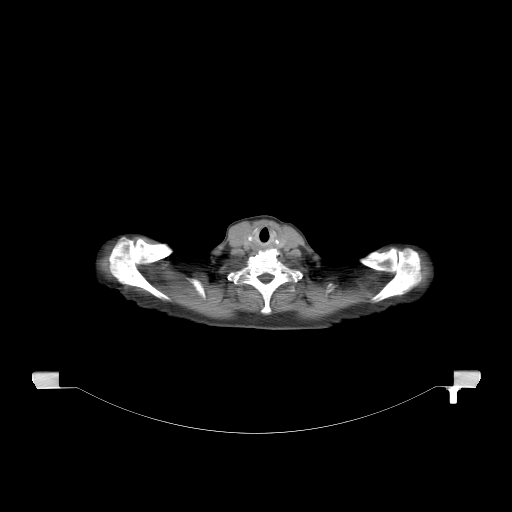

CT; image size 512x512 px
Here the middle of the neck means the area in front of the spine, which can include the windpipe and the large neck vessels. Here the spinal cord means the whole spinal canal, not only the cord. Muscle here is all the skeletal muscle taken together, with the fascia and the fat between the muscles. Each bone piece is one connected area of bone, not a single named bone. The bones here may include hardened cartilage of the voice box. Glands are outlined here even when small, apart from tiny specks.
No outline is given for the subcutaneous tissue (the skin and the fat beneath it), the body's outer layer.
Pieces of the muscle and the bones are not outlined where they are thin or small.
The torso appears in 2 outlined pieces: piece 1: 122 232; 139 232; 162 239; 174 251; 205 252; 215 245; 211 271; 217 288; 220 307; 227 322; 239 328; 207 326; 169 317; 154 310; 142 309; 137 307; 133 302; 125 300; 115 291; 98 285; 93 272; 93 259; 96 250; 108 237; piece 2: 394 241; 417 243; 423 246; 433 257; 435 262; 435 279; 431 288; 421 300; 411 304; 392 307; 381 313; 376 313; 360 319; 348 320; 335 327; 321 329; 286 329; 303 314; 317 295; 322 278; 320 255; 330 260; 357 259; 378 246. The middle of the neck is outlined by 264 224; 271 226; 277 232; 278 239; 276 238; 274 242; 278 247; 282 248; 288 240; 294 240; 296 245; 289 250; 276 247; 256 250; 237 246; 233 242; 235 236; 241 236; 244 245; 247 246; 253 239; 249 234; 250 232; 257 226. The bones appear in 4 outlined pieces: piece 1: 122 236; 133 240; 142 238; 146 242; 152 244; 166 243; 173 249; 172 253; 166 257; 148 264; 137 265; 137 268; 146 279; 153 286; 166 294; 170 300; 166 301; 160 299; 141 287; 122 284; 112 275; 109 269; 108 258; 116 241; piece 2: 392 247; 399 250; 402 250; 406 247; 410 247; 417 251; 420 258; 420 270; 422 275; 421 281; 404 294; 391 296; 373 303; 370 301; 370 299; 384 286; 394 275; 394 273; 373 269; 362 264; 359 261; 359 259; 369 252; 383 252; piece 3: 269 248; 279 250; 278 259; 290 268; 299 270; 303 276; 296 282; 286 282; 278 286; 269 300; 271 312; 269 314; 262 314; 260 311; 264 306; 264 299; 260 292; 250 284; 235 284; 227 279; 227 274; 245 266; 248 258; 259 250; inner edge: 265 273; 267 273; 268 274; 270 274; 271 275; 272 275; 272 276; 273 277; 268 282; 263 282; 262 281; 261 281; 259 279; 259 278; 258 277; 260 275; 261 275; 262 274; 264 274; piece 4: 188 278; 194 278; 195 279; 197 279; 201 283; 201 284; 203 287; 203 289; 204 290; 204 292; 205 293; 205 297; 204 298; 203 298; 198 293; 198 292; 196 290; 196 289; 194 287; 194 286; 190 282; 190 281; 189 280; 188 280. The spinal cord is outlined by 265 273; 267 273; 268 274; 270 274; 271 275; 272 275; 272 276; 273 277; 268 282; 263 282; 262 281; 261 281; 259 279; 259 278; 258 277; 260 275; 261 275; 262 274; 264 274. The thyroid glands appear in 2 outlined pieces: piece 1: 279 232; 281 232; 282 233; 283 233; 284 234; 285 234; 286 235; 286 236; 287 237; 287 240; 285 242; 285 243; 282 246; 282 247; 280 247; 279 246; 278 246; 278 242; 279 241; 279 236; 278 235; 278 233; piece 2: 247 233; 249 233; 248 234; 249 235; 247 237; 248 238; 248 239; 249 240; 249 242; 248 243; 248 244; 247 245; 245 245; 245 244; 244 243; 244 236. The muscle appears in 4 outlined pieces: piece 1: 258 219; 292 227; 322 263; 358 261; 393 275; 369 299; 372 303; 319 319; 301 319; 290 311; 271 313; 275 290; 298 282; 304 274; 278 257; 280 250; 289 251; 297 242; 264 223; 232 238; 237 247; 257 251; 245 265; 226 274; 235 285; 250 285; 259 292; 260 313; 238 311; 233 318; 217 319; 167 302; 171 298; 138 265; 157 262; 173 252; 187 258; 211 256; 224 246; 233 225; inner edge: 188 278; 194 278; 195 279; 197 279; 201 283; 201 284; 203 287; 203 289; 204 290; 204 292; 205 293; 205 297; 204 298; 203 298; 198 293; 198 292; 196 290; 196 289; 194 287; 194 286; 190 282; 190 281; 189 280; 188 280; piece 2: 115 240; 116 240; 113 246; 111 248; 111 250; 108 255; 107 260; 108 261; 108 269; 109 270; 109 272; 117 281; 113 281; 112 280; 110 280; 106 278; 102 274; 98 267; 98 260; 102 256; 104 248; 110 242; 114 241; piece 3: 416 250; 420 251; 425 255; 429 263; 431 272; 427 280; 427 282; 423 287; 412 289; 417 286; 422 281; 422 279; 423 278; 423 275; 422 274; 422 271; 421 270; 422 269; 422 266; 421 265; 421 258; 418 251; piece 4: 123 285; 127 285; 128 286; 131 286; 132 287; 138 287; 139 288; 141 288; 152 295; 143 295; 142 294; 140 294; 135 291; 133 291; 132 290; 130 290; 129 289; 126 289; 124 287; 124 286. The head and neck is outlined by 259 214; 272 215; 293 223; 303 232; 309 244; 319 254; 321 278; 316 295; 302 314; 290 326; 283 330; 240 328; 230 324; 223 313; 219 298; 218 288; 212 271; 213 255; 215 252; 216 244; 223 239; 227 226; 231 222; 240 218.